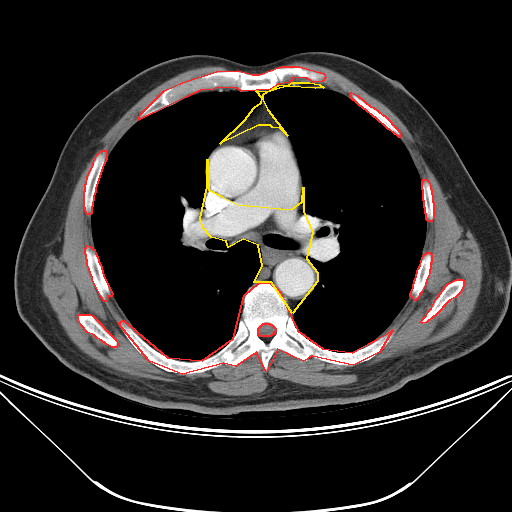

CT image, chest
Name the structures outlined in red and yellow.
red: bones; yellow: mediastinum.
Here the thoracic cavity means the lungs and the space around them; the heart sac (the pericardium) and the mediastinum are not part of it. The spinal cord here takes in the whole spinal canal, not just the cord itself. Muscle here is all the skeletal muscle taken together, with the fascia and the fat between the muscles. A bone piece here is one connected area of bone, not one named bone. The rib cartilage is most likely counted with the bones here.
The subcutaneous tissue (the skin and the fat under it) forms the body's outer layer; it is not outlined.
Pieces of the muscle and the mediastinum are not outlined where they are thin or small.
{"bones":[{"outer":[[259,282],[269,282],[279,291],[297,330],[322,348],[352,352],[392,330],[379,352],[353,365],[312,356],[303,361],[277,349],[266,371],[256,352],[235,366],[223,363],[182,374],[149,361],[118,323],[123,320],[167,357],[202,360],[233,338],[244,295]],"hole":[[263,323],[269,323],[270,324],[271,324],[275,328],[275,331],[274,332],[274,333],[273,334],[272,334],[270,336],[260,336],[258,334],[258,328]]},[[281,66],[299,66],[323,73],[325,77],[322,81],[313,82],[307,78],[293,77],[289,82],[278,84],[270,89],[241,91],[237,88],[217,87],[213,89],[200,90],[138,120],[140,114],[164,90],[182,82],[216,71],[238,70],[252,74],[259,74]],[[102,150],[105,150],[106,151],[106,158],[102,167],[95,188],[95,191],[93,196],[92,206],[91,207],[91,213],[90,214],[87,214],[85,211],[85,208],[84,207],[84,191],[85,190],[85,184],[86,183],[87,177],[93,164],[93,162],[97,154]],[[87,245],[90,246],[93,249],[94,249],[95,253],[97,256],[98,261],[100,264],[103,275],[112,294],[111,296],[108,296],[107,297],[106,301],[104,301],[101,297],[92,279],[92,277],[87,264],[87,260],[86,259],[86,255],[85,254],[85,248]],[[456,279],[462,279],[464,282],[463,283],[463,286],[459,293],[455,297],[449,300],[434,316],[433,316],[426,322],[422,323],[421,322],[422,319],[426,315],[428,311],[431,308],[436,298],[439,295],[439,294],[444,288],[444,287],[448,283]],[[79,314],[90,314],[92,315],[115,339],[117,343],[117,345],[116,347],[112,347],[106,344],[104,342],[103,342],[101,340],[97,338],[94,335],[87,332],[81,325],[78,319],[78,315]],[[427,252],[429,252],[431,254],[431,262],[430,263],[429,273],[426,279],[425,284],[421,292],[419,294],[418,297],[415,300],[414,300],[413,298],[411,296],[410,296],[410,294],[413,287],[414,280],[415,279],[418,268],[420,265],[422,257],[423,255]],[[351,92],[357,95],[370,106],[373,107],[383,115],[384,115],[398,130],[400,134],[400,137],[399,137],[389,129],[388,129],[375,117],[374,117],[365,109],[364,109],[361,106],[360,106],[354,100],[353,100],[351,98],[351,96],[350,95],[350,93]],[[423,179],[426,179],[428,181],[430,185],[430,188],[431,189],[431,193],[432,194],[432,201],[433,202],[433,217],[431,221],[428,221],[426,219],[426,214],[425,213],[425,208],[424,207],[424,201],[423,200],[423,190],[422,189],[422,181]]],"mediastinum":[[[207,159],[208,189],[237,204],[291,209],[302,201],[303,187],[303,211],[312,232],[306,258],[317,272],[317,281],[292,313],[271,282],[254,282],[262,265],[258,245],[243,239],[228,247],[226,241],[211,237],[203,228],[200,218],[207,186]],[[292,82],[309,82],[319,84],[323,87],[315,88],[286,86],[266,92],[262,95],[262,99],[267,109],[287,135],[280,128],[272,127],[270,125],[258,125],[220,143],[244,120],[254,107],[261,102],[262,98],[256,91],[270,90],[278,85],[289,84]]],"spinal_cord":[[[263,323],[269,323],[270,324],[271,324],[275,328],[275,331],[274,332],[274,333],[273,334],[272,334],[270,336],[260,336],[258,334],[258,328]]],"thoracic_cavity":[[[215,91],[255,91],[261,98],[205,161],[200,223],[211,238],[226,242],[228,248],[243,240],[254,243],[260,250],[261,265],[243,295],[232,338],[215,353],[187,361],[160,352],[131,325],[111,291],[96,253],[91,214],[106,159],[136,122],[189,95]],[[286,87],[325,87],[354,101],[401,140],[421,181],[426,229],[409,296],[383,333],[352,351],[334,351],[311,341],[298,330],[291,314],[296,304],[314,291],[318,272],[307,258],[313,246],[313,232],[304,211],[298,160],[288,134],[263,99],[264,94]]],"pericardium":[[[258,126],[270,126],[272,128],[280,129],[287,136],[288,141],[291,145],[291,149],[294,154],[297,167],[300,171],[302,183],[301,201],[298,205],[285,209],[264,208],[260,206],[237,203],[209,189],[210,188],[206,173],[206,167],[210,154],[223,142]]],"torso":[[[305,51],[349,56],[397,79],[425,107],[452,143],[496,214],[511,251],[511,298],[493,335],[467,354],[377,399],[230,415],[150,407],[106,391],[66,368],[20,318],[14,296],[14,268],[27,224],[77,123],[114,88],[171,58],[208,54],[260,65]]],"muscle":[{"outer":[[295,61],[347,77],[387,106],[413,136],[480,248],[481,288],[469,319],[451,337],[344,385],[272,378],[260,393],[226,395],[109,371],[81,351],[58,321],[42,289],[46,258],[100,139],[149,91],[193,68],[230,69],[164,89],[107,156],[105,149],[96,154],[84,184],[94,246],[84,248],[86,264],[102,300],[113,295],[129,322],[118,318],[117,323],[133,347],[155,366],[182,375],[235,367],[256,353],[266,372],[277,350],[303,362],[312,357],[353,366],[387,345],[394,331],[385,331],[409,297],[419,297],[432,262],[429,251],[423,254],[427,221],[434,217],[429,181],[421,180],[399,130],[384,114],[352,91],[350,98],[316,83],[325,79],[323,72],[285,65]],"holes":[[[456,279],[462,279],[464,282],[463,283],[463,286],[459,293],[455,297],[449,300],[434,316],[433,316],[426,322],[422,323],[421,322],[422,319],[426,315],[428,311],[431,308],[436,298],[439,295],[439,294],[444,288],[444,287],[448,283]],[[79,314],[90,314],[92,315],[115,339],[117,343],[117,345],[116,347],[112,347],[106,344],[104,342],[103,342],[101,340],[97,338],[94,335],[87,332],[81,325],[78,319],[78,315]]]}]}